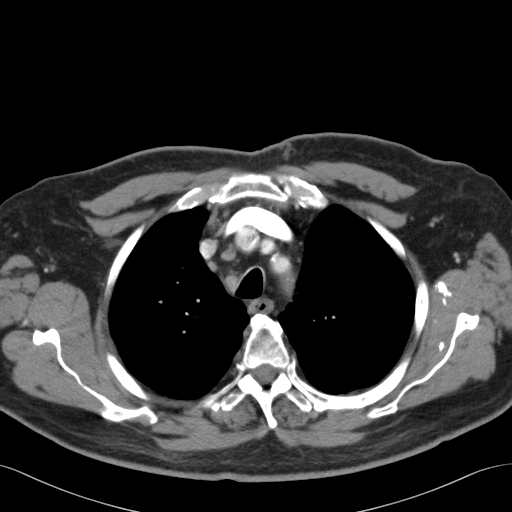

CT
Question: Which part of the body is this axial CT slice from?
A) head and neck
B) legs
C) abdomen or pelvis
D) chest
Answer: D) chest
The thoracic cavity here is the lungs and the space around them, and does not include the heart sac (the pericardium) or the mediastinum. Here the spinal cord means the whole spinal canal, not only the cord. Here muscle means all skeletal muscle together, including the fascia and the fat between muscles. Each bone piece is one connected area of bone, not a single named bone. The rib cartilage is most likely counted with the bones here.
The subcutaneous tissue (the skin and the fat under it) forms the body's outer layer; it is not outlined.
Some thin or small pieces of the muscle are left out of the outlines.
The bones appear in 8 outlined pieces: piece 1: 257,313 279,322 283,340 296,357 297,373 327,394 360,393 379,383 405,356 410,361 393,390 361,408 304,412 279,394 271,404 277,421 273,429 250,394 229,411 196,408 199,400 236,374 250,318; inner edge: 264,364 268,364 270,365 274,369 275,369 275,373 276,374 275,375 275,378 268,385 266,386 264,386 260,384 255,379 255,378 253,376 253,370 257,368 259,366 261,365 263,365; piece 2: 234,172 255,172 273,176 276,174 294,174 317,186 330,203 323,209 316,209 296,206 291,198 286,202 280,202 261,197 242,197 222,204 205,202 189,209 167,213 167,210 178,198 192,188 213,182 223,182; piece 3: 51,327 55,328 59,334 63,360 85,385 125,408 148,405 157,416 157,421 150,424 145,415 118,422 103,418 99,414 103,407 102,403 60,365 55,346 50,342 39,345 33,343 32,334 35,329 44,331; piece 4: 460,312 479,316 479,321 475,328 471,330 466,329 457,336 454,348 448,359 428,379 408,389 400,398 397,404 398,408 394,413 368,418 366,416 368,411 392,401 406,385 423,377 443,357 450,343 457,315; piece 5: 143,223 145,225 143,230 143,233 135,244 123,264 116,279 111,295 109,299 107,299 104,295 104,291 107,282 108,273 112,265 112,262 114,259 114,257 116,255 116,253 119,248 129,234 138,226; piece 6: 107,352 110,352 112,353 118,359 118,360 120,362 121,362 126,370 141,385 144,390 149,394 150,396 150,399 149,400 145,400 134,395 128,390 127,390 118,381 108,365 108,363 106,359 106,353; piece 7: 421,278 423,278 427,284 427,287 428,288 429,305 428,306 428,311 427,312 427,315 426,316 423,327 421,330 421,332 419,336 416,338 412,328 413,327 413,321 414,320 414,310 415,309 416,287 419,280; piece 8: 367,217 370,217 376,220 394,234 395,234 396,236 397,236 397,237 401,241 405,250 405,258 403,260 401,259 394,252 394,251 390,247 390,246 381,237 381,236 375,230 375,229 367,221 367,219 366,218. The mediastinum is outlined by 242,198 261,198 280,203 286,203 291,199 296,207 320,210 305,237 296,291 292,301 286,305 277,319 262,312 257,312 250,317 243,302 227,293 221,281 210,270 199,251 202,230 210,215 203,204 222,205. The thoracic cavity appears in 2 outlined pieces: piece 1: 200,205 205,207 209,215 201,230 198,251 226,293 242,302 249,316 250,329 243,342 241,355 234,362 235,374 213,392 194,399 183,399 154,391 138,381 127,370 110,333 108,306 120,272 143,234 165,215; piece 2: 330,204 343,206 365,220 403,262 415,288 412,327 397,363 379,382 357,393 327,393 304,379 297,371 297,357 294,352 290,352 284,340 284,329 278,320 278,316 293,301 297,291 305,241 310,227 321,210. The muscle is outlined by 314,160 383,171 418,188 415,212 429,232 464,242 489,231 506,250 511,335 479,386 417,405 349,445 286,447 270,432 234,447 173,451 117,423 145,416 152,425 158,416 148,404 125,407 85,384 53,326 35,328 32,343 54,346 59,365 101,403 99,415 29,395 11,380 0,354 0,266 13,254 42,264 64,256 79,201 154,172 263,171 with holes at 234,172 294,174 401,241 429,305 398,360 410,356 403,377 376,402 304,412 282,393 270,429 250,394 213,411 195,407 201,397 142,383 150,396 142,399 113,374 106,353 122,361 104,291 116,253 186,192 and at 460,312 479,316 479,321 475,328 471,330 466,329 457,336 454,348 448,359 428,379 408,389 400,398 397,404 398,408 394,413 368,418 366,416 368,411 392,401 406,385 423,377 443,357 450,343 457,315. The torso is outlined by 319,131 374,135 403,143 434,158 465,162 492,176 511,197 510,407 492,420 453,439 393,463 331,477 269,482 198,480 105,463 66,449 0,411 1,202 42,178 93,167 145,148 196,144 251,151 288,136. The spinal cord is outlined by 264,364 268,364 270,365 274,369 275,369 275,373 276,374 275,375 275,378 268,385 266,386 264,386 260,384 255,379 255,378 253,376 253,370 257,368 259,366 261,365 263,365.